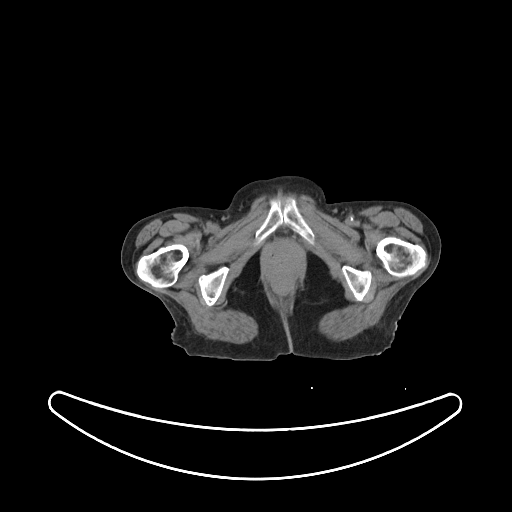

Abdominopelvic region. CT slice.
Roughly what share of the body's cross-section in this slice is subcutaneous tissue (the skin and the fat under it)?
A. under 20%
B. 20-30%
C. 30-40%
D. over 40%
C. 30-40%
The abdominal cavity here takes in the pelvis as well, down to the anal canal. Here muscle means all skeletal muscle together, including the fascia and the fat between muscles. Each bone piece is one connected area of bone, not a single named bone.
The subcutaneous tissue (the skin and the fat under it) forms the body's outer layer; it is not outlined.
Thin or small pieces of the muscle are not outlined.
{"abdominal_cavity":[[[282,225],[288,226],[294,232],[300,236],[298,238],[298,241],[305,251],[304,260],[306,264],[299,283],[288,294],[280,296],[275,294],[268,288],[262,276],[263,275],[263,270],[261,265],[261,257],[260,256],[261,255],[262,246],[268,239],[267,237]]],"bones":[[[174,243],[180,243],[183,244],[186,246],[189,253],[189,257],[186,263],[178,273],[178,276],[176,281],[171,286],[168,287],[153,287],[149,283],[141,280],[138,277],[136,273],[137,262],[140,257],[143,255],[146,255],[153,252],[161,246],[166,246]],[[387,236],[394,236],[406,240],[411,243],[420,245],[424,249],[426,253],[426,264],[425,266],[420,268],[415,273],[403,277],[397,277],[390,274],[384,268],[382,262],[376,255],[375,252],[376,245],[378,241],[382,238]],[[288,197],[292,197],[295,199],[296,206],[299,212],[315,236],[314,244],[309,242],[305,237],[304,238],[288,225],[285,224],[280,225],[263,240],[254,241],[255,232],[261,225],[268,213],[271,199],[279,200],[282,207],[285,204],[285,201]],[[224,265],[228,267],[229,270],[226,276],[221,294],[216,302],[213,305],[209,306],[205,303],[202,297],[202,295],[200,291],[200,288],[198,284],[198,278],[200,275],[202,274],[207,274],[217,269],[219,267],[223,266]],[[343,265],[348,265],[354,268],[360,269],[361,270],[369,270],[371,272],[371,274],[372,275],[372,278],[371,279],[371,283],[370,284],[369,289],[362,301],[357,301],[354,298],[351,292],[349,290],[348,286],[346,283],[345,278],[341,271],[341,268]]],"muscle":[{"outer":[[279,189],[308,195],[335,217],[366,206],[407,209],[423,225],[430,263],[395,294],[376,325],[334,342],[316,327],[322,315],[344,304],[343,288],[327,265],[311,254],[304,286],[285,322],[268,302],[255,254],[233,280],[227,298],[230,307],[257,322],[257,336],[236,344],[197,334],[178,303],[141,281],[171,287],[190,257],[187,246],[174,242],[141,255],[136,275],[132,255],[139,231],[173,213],[230,223],[256,198]],"holes":[[[288,197],[295,199],[315,240],[312,244],[305,237],[298,238],[305,251],[306,264],[302,277],[288,294],[280,296],[268,288],[262,276],[260,256],[262,246],[268,239],[265,237],[263,240],[254,240],[256,230],[268,213],[271,199],[279,200],[282,207]],[[387,236],[394,236],[406,240],[411,243],[420,245],[424,249],[426,253],[426,264],[425,266],[420,268],[415,273],[403,277],[397,277],[390,274],[384,268],[382,262],[376,255],[375,252],[376,245],[378,241],[382,238]],[[224,265],[228,267],[229,270],[226,276],[221,294],[216,302],[213,305],[209,306],[205,303],[202,297],[202,295],[200,291],[200,288],[198,284],[198,278],[200,275],[202,274],[207,274],[217,269],[219,267],[223,266]],[[343,265],[348,265],[354,268],[360,269],[361,270],[369,270],[371,272],[371,274],[372,275],[372,278],[371,279],[371,283],[370,284],[369,289],[362,301],[357,301],[354,298],[351,292],[349,290],[348,286],[346,283],[345,278],[341,271],[341,268]]]}],"torso":[[[283,174],[314,180],[330,203],[407,202],[437,227],[441,239],[437,267],[412,296],[391,346],[382,353],[351,360],[291,353],[272,361],[190,356],[172,343],[174,322],[162,302],[125,275],[120,250],[126,233],[139,219],[174,206],[225,208],[246,183]]]}